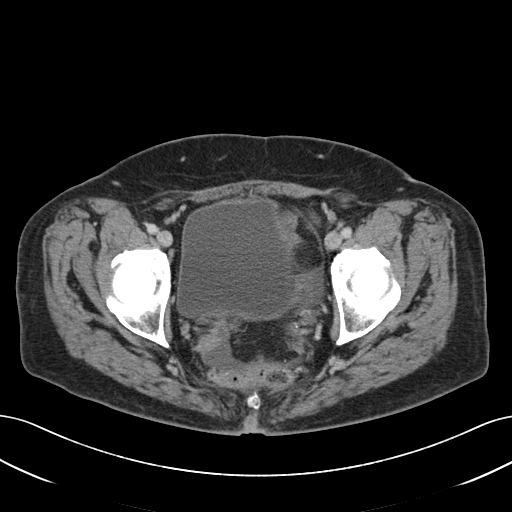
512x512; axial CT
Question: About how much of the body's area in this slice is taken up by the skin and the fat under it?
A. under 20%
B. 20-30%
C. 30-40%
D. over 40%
Answer: C. 30-40%
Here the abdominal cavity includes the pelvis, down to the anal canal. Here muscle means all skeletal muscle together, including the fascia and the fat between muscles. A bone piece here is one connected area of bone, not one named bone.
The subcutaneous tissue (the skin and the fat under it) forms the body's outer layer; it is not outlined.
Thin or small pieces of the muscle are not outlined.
The muscle is outlined by [[246,179],[339,186],[369,203],[422,198],[438,204],[455,230],[458,284],[443,348],[413,372],[385,385],[311,415],[277,423],[259,419],[255,425],[159,400],[70,355],[50,316],[43,288],[42,238],[60,207],[84,197],[136,203],[167,190],[196,190]] with a hole at [[245,191],[336,201],[353,225],[338,250],[376,246],[401,289],[375,327],[339,346],[334,297],[333,348],[326,361],[309,376],[259,393],[258,409],[247,406],[249,393],[198,376],[171,345],[128,329],[105,301],[116,254],[163,248],[146,231],[148,212]]. The bones appear in 3 outlined pieces: piece 1: [[154,247],[158,247],[164,251],[166,253],[166,257],[170,262],[171,290],[163,315],[163,329],[165,337],[170,345],[169,348],[165,348],[128,329],[108,309],[105,301],[105,297],[107,293],[108,276],[111,271],[110,265],[114,256],[125,248],[148,249]]; piece 2: [[373,245],[376,246],[389,260],[394,276],[401,289],[400,299],[395,307],[375,327],[367,333],[342,345],[337,346],[335,345],[335,341],[339,335],[340,318],[339,310],[334,297],[331,283],[330,266],[332,260],[334,256],[344,248],[359,249],[366,248]]; piece 3: [[250,394],[258,394],[258,395],[259,396],[259,398],[260,399],[260,406],[259,407],[259,408],[258,409],[254,409],[253,408],[252,408],[251,407],[249,407],[248,406],[247,406],[247,405],[246,404],[246,399],[247,398],[247,397]]. The torso is outlined by [[205,133],[291,134],[348,143],[391,160],[413,177],[463,204],[477,222],[484,248],[490,342],[486,373],[442,396],[394,414],[278,436],[223,435],[164,424],[81,398],[29,374],[19,354],[15,297],[17,245],[28,218],[60,192],[131,154],[168,140]]. The abdominal cavity is outlined by [[245,191],[296,198],[323,195],[336,201],[353,225],[352,233],[330,260],[333,317],[329,336],[333,348],[329,356],[309,376],[268,394],[211,382],[176,355],[171,345],[171,262],[162,244],[147,233],[143,220],[150,211],[168,210],[185,200],[199,203]].